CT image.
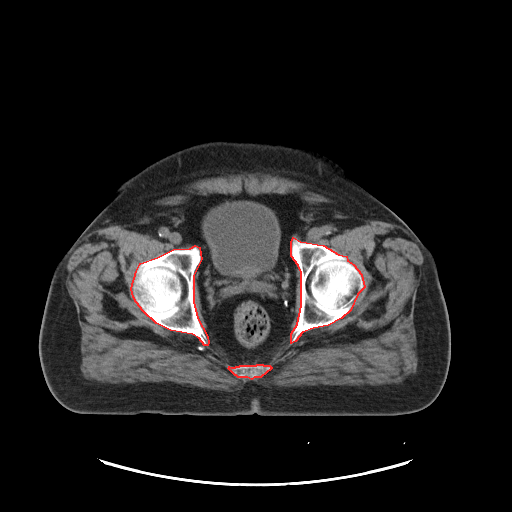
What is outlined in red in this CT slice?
red: bones.
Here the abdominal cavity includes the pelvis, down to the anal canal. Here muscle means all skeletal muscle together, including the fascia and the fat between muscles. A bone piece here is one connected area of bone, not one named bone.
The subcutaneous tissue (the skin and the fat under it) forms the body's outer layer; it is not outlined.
{"bones":[[[293,237],[300,241],[323,245],[338,254],[346,256],[347,260],[353,264],[361,274],[364,287],[357,294],[350,310],[341,318],[328,325],[313,328],[302,332],[295,341],[291,343],[291,333],[297,324],[301,305],[301,272],[298,265],[291,256],[291,242]],[[195,245],[199,247],[201,259],[193,275],[193,301],[197,318],[207,336],[208,342],[207,345],[204,345],[199,338],[192,334],[170,330],[156,323],[143,311],[136,302],[133,297],[131,288],[136,271],[140,263],[157,257],[173,249],[190,248]],[[257,364],[262,364],[263,365],[269,365],[271,367],[271,368],[260,377],[254,377],[251,379],[247,377],[238,377],[236,375],[235,375],[228,368],[229,366],[231,367],[235,367],[236,366],[239,366],[240,365],[256,365]]],"muscle":[{"outer":[[240,173],[302,182],[352,216],[395,222],[416,242],[423,264],[413,308],[417,368],[409,380],[388,386],[295,389],[249,380],[240,389],[225,391],[169,381],[100,383],[82,375],[77,308],[65,284],[70,255],[97,229],[149,216],[176,189],[196,180]],"holes":[[[239,193],[297,194],[303,209],[292,236],[346,256],[364,284],[341,318],[291,343],[301,305],[295,261],[294,313],[286,338],[270,354],[244,362],[211,338],[198,264],[193,301],[207,345],[156,323],[131,288],[140,263],[194,245],[182,226],[189,200]],[[257,364],[262,364],[263,365],[269,365],[271,367],[271,368],[260,377],[254,377],[251,379],[247,377],[238,377],[236,375],[235,375],[228,368],[229,366],[231,367],[235,367],[236,366],[239,366],[240,365],[256,365]]]}],"abdominal_cavity":[[[239,193],[250,195],[297,194],[303,206],[290,242],[290,256],[294,261],[295,270],[294,313],[288,333],[270,354],[244,362],[237,362],[211,338],[203,314],[198,284],[201,250],[186,235],[182,226],[184,220],[182,208],[189,200],[216,194]]],"torso":[[[216,136],[281,138],[318,151],[338,163],[356,182],[397,214],[430,250],[437,266],[451,332],[447,377],[430,405],[416,412],[399,415],[112,415],[77,413],[65,408],[54,398],[42,372],[38,340],[57,262],[112,199],[120,183],[168,152],[196,140]]]}